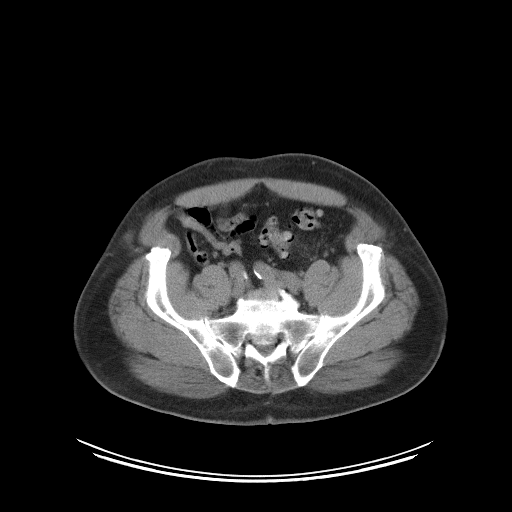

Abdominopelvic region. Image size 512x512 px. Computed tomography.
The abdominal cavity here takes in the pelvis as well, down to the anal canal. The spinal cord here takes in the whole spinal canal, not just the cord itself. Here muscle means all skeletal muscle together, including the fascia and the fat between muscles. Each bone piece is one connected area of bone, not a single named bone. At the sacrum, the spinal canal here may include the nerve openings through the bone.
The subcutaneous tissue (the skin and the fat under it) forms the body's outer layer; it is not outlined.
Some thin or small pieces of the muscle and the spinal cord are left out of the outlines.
The torso is outlined by 283 152; 317 154; 356 171; 378 187; 404 217; 440 277; 448 302; 447 335; 431 372; 408 392; 374 406; 316 421; 266 425; 186 419; 126 401; 100 386; 76 352; 73 314; 87 279; 130 205; 156 182; 200 160; 216 156; 252 158. The bones are outlined by 358 243; 381 247; 385 296; 301 387; 288 351; 269 364; 268 381; 263 365; 241 354; 236 386; 226 385; 144 297; 144 256; 160 246; 171 251; 167 295; 187 319; 230 315; 259 288; 283 289; 301 312; 342 315; 361 292, around a hole outlined by 271 344; 274 344; 274 347; 273 348; 273 349; 272 350; 272 351; 270 353; 269 353; 267 355; 263 355; 257 349; 257 348; 256 347; 256 346; 257 345; 270 345. The muscle appears in 2 outlined pieces: piece 1: 248 177; 330 187; 361 202; 385 226; 394 254; 416 289; 419 309; 400 347; 403 358; 383 382; 335 394; 302 387; 324 365; 335 342; 385 298; 384 251; 377 244; 358 242; 355 250; 362 279; 355 304; 337 315; 310 312; 302 290; 305 273; 317 260; 339 266; 356 219; 344 206; 283 197; 261 182; 220 204; 183 207; 164 222; 178 239; 175 258; 188 270; 189 288; 206 266; 223 268; 231 296; 218 308; 217 317; 187 318; 174 308; 166 281; 169 247; 153 245; 143 256; 146 305; 181 331; 196 346; 209 372; 232 388; 209 398; 184 397; 154 389; 128 370; 128 350; 113 331; 107 305; 131 259; 123 235; 180 193; piece 2: 288 352; 296 355; 290 366; 290 371; 297 388; 277 394; 257 394; 234 388; 237 386; 241 373; 241 369; 236 358; 243 355; 245 358; 251 358; 257 361; 263 367; 264 380; 268 382; 270 379; 270 364; 274 363; 282 357; 286 357. The spinal cord is outlined by 271 344; 274 344; 274 347; 273 348; 273 349; 272 350; 272 351; 270 353; 269 353; 267 355; 263 355; 257 349; 257 348; 256 347; 256 346; 257 345; 270 345. The abdominal cavity is outlined by 261 183; 283 198; 344 207; 355 219; 345 255; 338 266; 317 259; 305 271; 301 290; 309 312; 283 288; 259 287; 218 317; 232 296; 224 268; 206 265; 189 287; 189 270; 176 258; 179 239; 165 222; 183 208; 220 205.